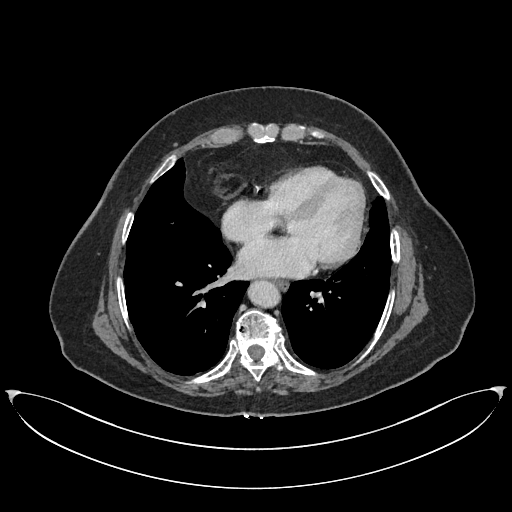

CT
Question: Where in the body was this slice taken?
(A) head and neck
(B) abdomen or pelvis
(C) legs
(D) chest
Answer: (D) chest
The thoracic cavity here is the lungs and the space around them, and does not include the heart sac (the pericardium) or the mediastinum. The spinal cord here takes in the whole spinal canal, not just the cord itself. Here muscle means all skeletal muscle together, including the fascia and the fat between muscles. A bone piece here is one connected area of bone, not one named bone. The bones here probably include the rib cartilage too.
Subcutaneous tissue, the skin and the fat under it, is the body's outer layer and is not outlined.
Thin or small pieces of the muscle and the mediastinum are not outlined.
spinal cord: (252, 345) (258, 345) (259, 346) (260, 346) (261, 347) (262, 347) (264, 350) (264, 352) (263, 353) (263, 354) (262, 355) (262, 356) (257, 361) (256, 361) (252, 357) (251, 357) (251, 356) (249, 354) (249, 353) (248, 352) (248, 349) (249, 348) (249, 347)
torso: (260, 85) (305, 87) (340, 97) (373, 118) (395, 144) (422, 193) (453, 228) (468, 257) (475, 303) (457, 348) (412, 379) (369, 398) (285, 416) (179, 410) (120, 391) (76, 368) (62, 354) (50, 319) (50, 294) (65, 253) (118, 164) (156, 121) (178, 106) (215, 92)
mediastinum 1: (243, 141) (257, 144) (288, 143) (339, 148) (365, 174) (379, 195) (370, 208) (370, 200) (363, 183) (349, 167) (333, 160) (310, 162) (276, 171) (254, 184) (226, 208) (221, 216) (220, 231) (206, 215) (186, 201) (183, 192) (185, 165) (182, 157) (190, 152) (231, 146)
mediastinum 2: (232, 256) (232, 261) (240, 275) (247, 280) (291, 282) (280, 302) (280, 315) (291, 347) (291, 353) (286, 346) (286, 336) (278, 319) (270, 313) (257, 308) (247, 309) (237, 317) (234, 322) (234, 334) (228, 342) (232, 317) (238, 310) (249, 285) (237, 276) (231, 263)
muscle 1: (234, 122) (250, 122) (245, 126) (221, 129) (210, 136) (215, 143) (231, 145) (198, 149) (181, 157) (174, 152) (167, 155) (149, 178) (150, 185) (136, 210) (126, 212) (120, 234) (124, 246) (122, 276) (118, 274) (114, 280) (121, 317) (156, 364) (172, 374) (191, 376) (184, 381) (186, 385) (216, 380) (235, 362) (258, 383) (269, 367) (316, 377) (318, 371) (304, 364) (333, 370) (359, 354) (353, 364) (360, 363) (384, 332) (396, 297) (390, 278) (392, 263) (401, 259) (400, 234) (396, 226) (390, 228) (386, 201) (391, 199) (391, 193) (386, 184) (394, 195) (412, 232) (429, 311) (379, 360) (337, 386) (279, 396) (239, 396) (232, 391) (211, 397) (192, 396) (128, 363) (108, 348) (91, 326) (114, 229) (132, 192) (170, 150) (205, 131)
muscle 2: (282, 121) (305, 122) (308, 124) (327, 130) (340, 137) (342, 137) (359, 150) (365, 158) (371, 163) (381, 177) (375, 171) (368, 167) (364, 170) (364, 173) (345, 152) (336, 146) (325, 144) (301, 144) (288, 142) (273, 142) (278, 137) (283, 141) (289, 141) (290, 142) (291, 141) (298, 141) (302, 140) (307, 134) (316, 139) (323, 139) (325, 137) (325, 133) (319, 129) (312, 129) (304, 124) (294, 122) (290, 122) (283, 125) (280, 125) (276, 123)
pericardium: (327, 161) (333, 161) (349, 168) (359, 178) (369, 200) (368, 230) (357, 253) (326, 279) (310, 280) (298, 279) (290, 281) (279, 279) (247, 279) (243, 277) (233, 261) (231, 251) (224, 243) (221, 237) (221, 220) (227, 208) (258, 182) (276, 172) (291, 170) (310, 163)
bones 1: (250, 309) (257, 309) (276, 318) (282, 327) (288, 351) (299, 362) (316, 370) (318, 375) (304, 375) (286, 369) (279, 371) (269, 366) (258, 382) (245, 367) (235, 361) (227, 373) (216, 379) (186, 384) (187, 379) (208, 371) (223, 358) (229, 340) (235, 334) (236, 320), around a hole outlined by (252, 345) (258, 345) (259, 346) (260, 346) (261, 347) (262, 347) (264, 350) (264, 352) (263, 353) (263, 354) (262, 355) (262, 356) (257, 361) (256, 361) (252, 357) (251, 357) (251, 356) (249, 354) (249, 353) (248, 352) (248, 349) (249, 348) (249, 347)
bones 2: (251, 122) (262, 124) (273, 122) (280, 126) (290, 123) (301, 124) (312, 130) (323, 132) (324, 137) (316, 138) (307, 133) (298, 140) (283, 140) (278, 136) (272, 142) (257, 143) (245, 134) (235, 142) (218, 143) (213, 141) (211, 136) (216, 132) (237, 126) (243, 128)
bones 3: (391, 288) (394, 288) (395, 289) (395, 297) (394, 298) (394, 302) (393, 303) (392, 310) (389, 319) (386, 324) (386, 326) (380, 337) (370, 352) (360, 362) (354, 364) (355, 361) (358, 358) (360, 354) (365, 350) (373, 336) (375, 329) (383, 312) (386, 303) (387, 296)
bones 4: (118, 275) (122, 277) (122, 280) (124, 285) (125, 302) (127, 307) (128, 320) (132, 327) (132, 329) (130, 330) (127, 328) (124, 322) (124, 320) (120, 311) (119, 304) (118, 303) (117, 293) (116, 292) (116, 285) (115, 284) (115, 280) (116, 279) (116, 277)
bones 5: (368, 168) (369, 169) (372, 170) (374, 172) (375, 172) (384, 182) (385, 185) (387, 187) (387, 188) (390, 193) (390, 199) (389, 200) (385, 200) (385, 199) (377, 192) (377, 191) (375, 189) (375, 188) (372, 185) (370, 180) (368, 178) (368, 177) (365, 173) (365, 170)
bones 6: (173, 153) (176, 154) (179, 157) (175, 162) (174, 165) (166, 172) (165, 172) (162, 175) (161, 175) (151, 184) (150, 184) (149, 181) (150, 180) (150, 178) (152, 176) (152, 175) (160, 166) (160, 165) (162, 163) (162, 162) (165, 159) (165, 158) (167, 156) (168, 156)
bones 7: (392, 227) (396, 227) (396, 228) (397, 229) (397, 230) (398, 231) (398, 233) (399, 234) (399, 251) (400, 252) (400, 259) (399, 260) (399, 261) (397, 263) (394, 263) (393, 262) (392, 262) (392, 260) (391, 259) (391, 249) (390, 248) (390, 230) (391, 229) (391, 228)
bones 8: (128, 211) (132, 211) (134, 213) (134, 216) (133, 217) (133, 221) (132, 222) (132, 224) (131, 225) (131, 227) (130, 228) (127, 239) (125, 242) (125, 244) (123, 245) (121, 243) (121, 234) (122, 233) (122, 228) (123, 227) (124, 220) (125, 219) (126, 214)
thoracic cavity 1: (179, 158) (184, 165) (182, 192) (185, 201) (218, 228) (223, 243) (230, 251) (230, 263) (236, 276) (248, 284) (237, 310) (231, 317) (224, 355) (213, 367) (193, 376) (179, 375) (165, 370) (141, 345) (129, 320) (123, 280) (125, 245) (135, 212) (150, 186) (171, 169)
thoracic cavity 2: (378, 196) (382, 197) (385, 201) (390, 229) (389, 248) (391, 265) (389, 290) (382, 312) (371, 338) (357, 355) (339, 367) (333, 369) (319, 369) (302, 362) (291, 351) (292, 347) (281, 315) (283, 296) (292, 282) (298, 280) (326, 280) (358, 253) (369, 230) (370, 209)